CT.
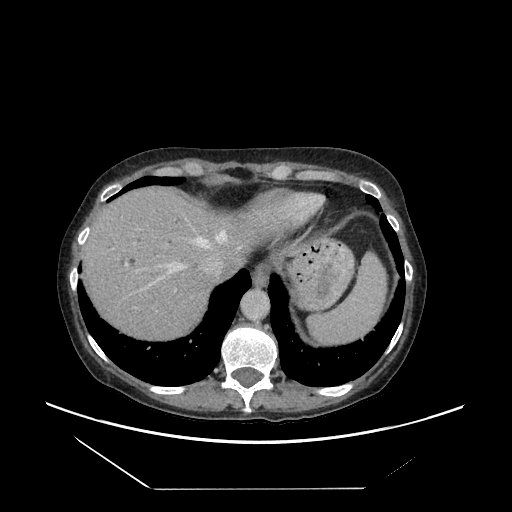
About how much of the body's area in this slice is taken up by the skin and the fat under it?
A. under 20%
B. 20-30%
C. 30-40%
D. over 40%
A. under 20%
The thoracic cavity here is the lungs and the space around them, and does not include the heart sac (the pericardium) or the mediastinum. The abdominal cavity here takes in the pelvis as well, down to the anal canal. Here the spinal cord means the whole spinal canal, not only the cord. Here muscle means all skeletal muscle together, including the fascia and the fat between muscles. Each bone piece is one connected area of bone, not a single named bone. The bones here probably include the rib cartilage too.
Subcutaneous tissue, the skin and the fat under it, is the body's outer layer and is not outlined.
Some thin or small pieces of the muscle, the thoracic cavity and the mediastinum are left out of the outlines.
thoracic cavity 1: 242 269; 248 270; 251 283; 241 295; 230 326; 222 339; 220 362; 206 377; 186 385; 152 384; 122 369; 112 361; 88 331; 81 313; 77 294; 79 278; 97 315; 120 334; 150 343; 171 342; 188 336; 200 325; 208 310; 214 289
thoracic cavity 2: 367 195; 378 200; 403 256; 405 293; 401 319; 380 357; 363 374; 338 385; 304 385; 287 378; 278 363; 278 342; 271 326; 270 276; 277 275; 286 291; 287 314; 304 345; 328 349; 363 340; 388 311; 400 278; 379 214; 367 202
thoracic cavity 3: 146 175; 169 176; 170 177; 183 176; 185 179; 183 182; 177 184; 169 184; 168 185; 150 184; 149 185; 142 185; 138 187; 134 187; 131 189; 129 189; 127 191; 125 191; 113 199; 108 201; 111 197; 120 191; 124 186
spinal cord: 240 368; 252 368; 253 369; 255 369; 257 370; 261 374; 261 377; 260 379; 258 380; 255 383; 252 384; 250 386; 248 386; 246 387; 242 385; 233 376; 233 373; 234 371
mediastinum 1: 250 268; 255 268; 256 270; 265 272; 269 276; 269 282; 267 286; 267 293; 270 302; 270 326; 272 330; 272 333; 268 332; 259 327; 256 327; 251 325; 234 325; 230 327; 235 316; 242 295; 251 286; 252 281; 249 271
mediastinum 2: 260 177; 270 178; 274 180; 319 180; 347 184; 357 188; 366 195; 366 202; 378 214; 378 217; 375 214; 374 215; 364 209; 352 210; 349 212; 348 200; 343 191; 333 185; 322 183; 298 183; 287 181; 262 180
torso: 169 146; 339 147; 363 153; 393 174; 424 256; 427 289; 413 343; 399 369; 381 390; 344 409; 310 419; 278 423; 257 419; 212 421; 146 407; 104 386; 88 371; 72 345; 58 302; 56 272; 62 238; 90 186; 104 171; 141 151
muscle 1: 187 157; 199 158; 215 163; 231 160; 240 163; 293 161; 336 168; 369 179; 360 178; 356 187; 340 182; 336 173; 331 170; 301 169; 294 171; 287 164; 276 165; 266 173; 267 177; 260 176; 245 167; 228 168; 211 175; 202 175; 204 169; 195 161; 187 161; 181 166; 164 165; 157 167; 150 174; 143 175; 125 185; 118 181; 108 184; 100 193; 99 200; 102 203; 91 226; 86 225; 78 233; 76 241; 82 246; 81 254; 78 265; 73 265; 68 273; 68 281; 71 290; 77 295; 80 313; 87 329; 85 336; 95 353; 106 363; 110 364; 113 362; 122 370; 148 383; 148 390; 160 395; 178 395; 183 393; 187 388; 187 385; 206 378; 221 362; 225 375; 223 380; 219 383; 219 386; 222 389; 235 390; 240 395; 243 401; 241 409; 243 412; 236 411; 230 407; 220 411; 188 410; 160 402; 146 395; 104 369; 89 354; 80 340; 71 311; 67 272; 71 259; 72 243; 78 229; 91 210; 100 190; 115 179; 128 175; 144 166
muscle 2: 377 184; 402 220; 416 271; 412 320; 402 347; 368 386; 335 404; 297 412; 252 412; 250 402; 255 392; 274 388; 271 372; 278 364; 287 379; 304 386; 316 387; 313 388; 315 394; 338 397; 351 390; 354 385; 349 382; 363 375; 398 342; 404 328; 402 315; 406 285; 413 278; 413 267; 404 258; 400 246; 397 235; 400 230; 398 220; 392 213; 385 213; 382 209; 379 201; 382 194
pericardium: 249 181; 271 181; 298 184; 322 184; 333 186; 341 190; 346 198; 348 205; 348 213; 337 227; 322 236; 299 247; 280 250; 257 262; 248 263; 235 254; 228 246; 227 243; 211 222; 208 216; 207 206; 210 197; 219 188; 228 184
bones 1: 234 326; 259 328; 273 334; 277 342; 277 366; 270 372; 270 380; 273 388; 269 390; 260 389; 254 392; 249 402; 252 409; 249 413; 242 410; 244 401; 235 389; 222 388; 220 386; 220 383; 226 375; 221 361; 221 345; 229 328 with a hole at 240 368; 252 368; 253 369; 255 369; 257 370; 261 374; 261 377; 260 379; 258 380; 255 383; 252 384; 250 386; 248 386; 246 387; 242 385; 233 376; 233 373; 234 371
bones 2: 278 165; 287 165; 294 172; 301 170; 325 170; 326 171; 331 171; 335 173; 336 178; 338 181; 328 181; 327 180; 320 180; 319 179; 317 180; 303 180; 302 179; 296 179; 293 175; 291 175; 288 179; 274 179; 268 177; 267 173
bones 3: 187 162; 195 162; 199 164; 203 169; 203 173; 201 175; 191 174; 186 171; 184 171; 181 175; 174 175; 173 176; 170 176; 169 175; 152 175; 151 174; 151 173; 157 168; 163 167; 164 166; 175 166; 176 167; 181 167
bones 4: 348 382; 349 383; 351 383; 353 385; 353 387; 344 394; 342 394; 338 396; 328 396; 327 395; 321 395; 320 394; 318 394; 314 392; 314 388; 320 388; 321 387; 332 387; 333 386; 338 386; 339 385; 341 385; 342 384; 344 384
bones 5: 362 178; 363 178; 364 179; 366 179; 367 180; 370 180; 376 184; 376 185; 378 187; 378 188; 380 191; 380 193; 381 194; 381 197; 379 199; 377 199; 375 197; 374 197; 370 194; 366 194; 358 188; 358 182; 359 181; 359 180
bones 6: 148 384; 151 384; 152 385; 158 385; 159 386; 186 386; 186 388; 183 391; 183 392; 182 392; 181 393; 179 393; 178 394; 160 394; 159 393; 156 393; 155 392; 153 392; 152 391; 151 391; 150 390; 149 390; 149 389; 148 388
bones 7: 115 182; 118 182; 120 183; 123 186; 122 188; 115 194; 111 196; 108 199; 102 202; 100 200; 100 196; 101 195; 101 193; 102 191; 108 185; 112 183; 114 183
bones 8: 87 332; 88 332; 91 335; 91 336; 95 340; 95 341; 100 347; 100 348; 111 360; 111 362; 110 363; 108 363; 107 362; 106 362; 101 357; 100 357; 96 353; 96 352; 90 345; 90 344; 87 339; 87 337; 86 336; 86 333
bones 9: 401 320; 402 320; 403 321; 403 328; 402 329; 401 334; 400 335; 397 342; 392 348; 392 349; 386 355; 383 355; 383 353; 384 352; 384 351; 387 348; 387 347; 391 340; 391 338; 393 336; 395 331; 397 329; 397 328; 398 327
bones 10: 73 266; 77 266; 77 272; 78 273; 78 280; 77 281; 77 285; 76 286; 76 293; 75 293; 72 290; 72 289; 71 288; 71 285; 70 284; 70 282; 69 281; 69 273; 70 272; 70 271; 71 270; 71 269; 72 268; 72 267
bones 11: 405 258; 406 259; 407 259; 408 260; 408 261; 410 263; 410 264; 411 265; 411 266; 412 267; 412 278; 411 279; 411 280; 407 284; 406 284; 406 282; 405 281; 405 276; 404 275; 404 259
bones 12: 86 226; 89 226; 90 227; 90 229; 89 230; 89 233; 88 234; 88 235; 87 236; 87 238; 86 239; 85 242; 83 244; 83 245; 80 245; 77 241; 77 238; 78 237; 78 235; 81 231; 81 230
bones 13: 386 213; 390 213; 391 214; 392 214; 395 217; 395 218; 397 220; 397 221; 398 222; 398 224; 399 225; 399 230; 397 233; 396 233; 395 232; 395 231; 392 228; 392 227; 390 225; 390 224; 387 219; 387 217; 385 214
abdominal cavity: 235 168; 261 180; 219 187; 206 211; 248 264; 322 237; 352 211; 379 219; 399 278; 387 311; 363 339; 328 348; 304 344; 281 279; 255 267; 216 286; 199 325; 178 339; 138 340; 98 315; 79 276; 102 204; 134 188